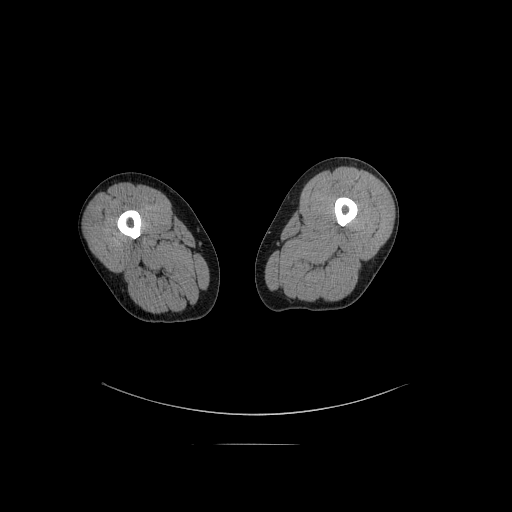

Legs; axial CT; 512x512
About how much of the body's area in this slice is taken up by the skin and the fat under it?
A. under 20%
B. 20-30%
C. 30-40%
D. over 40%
B. 20-30%
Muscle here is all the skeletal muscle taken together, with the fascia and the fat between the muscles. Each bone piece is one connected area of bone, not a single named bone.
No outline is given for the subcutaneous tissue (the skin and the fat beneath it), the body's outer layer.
The muscle appears in 2 outlined pieces: piece 1: 333 166; 353 166; 366 170; 384 184; 392 197; 395 207; 395 219; 392 232; 376 255; 369 261; 358 285; 347 297; 335 302; 305 303; 278 296; 267 288; 264 279; 265 266; 274 241; 292 214; 299 200; 301 190; 307 181; 317 173, around a hole outlined by 341 196; 349 197; 351 199; 352 199; 357 204; 357 207; 358 208; 358 211; 355 218; 351 222; 350 222; 345 226; 341 226; 337 223; 336 221; 336 218; 335 217; 335 214; 334 213; 334 203; 335 202; 335 200; 338 197; 340 197; piece 2: 124 181; 134 184; 145 184; 165 194; 171 202; 175 213; 191 232; 204 254; 209 269; 209 285; 201 301; 192 308; 174 316; 146 312; 133 302; 124 289; 124 286; 115 275; 91 252; 82 232; 84 211; 98 192; 105 191; 114 183 with a hole at 128 209; 135 209; 137 210; 141 217; 141 220; 142 221; 142 224; 141 225; 141 233; 140 235; 137 238; 135 239; 133 239; 129 236; 127 236; 123 234; 118 229; 117 227; 117 224; 116 223; 117 218; 119 216; 119 215; 122 212. The left leg is outlined by 335 156; 355 157; 369 163; 383 175; 392 187; 397 197; 400 212; 398 232; 393 247; 367 289; 353 304; 333 311; 314 312; 303 309; 292 309; 281 312; 272 311; 262 303; 254 281; 255 258; 261 240; 285 195; 296 180; 315 163. The right leg is outlined by 127 171; 141 172; 151 175; 173 188; 190 205; 209 236; 219 262; 220 285; 218 296; 213 308; 201 319; 180 323; 152 323; 137 319; 129 314; 118 303; 88 258; 80 241; 77 228; 78 215; 81 206; 86 197; 98 183; 113 174. The bones appear in 2 outlined pieces: piece 1: 128 209; 135 209; 137 210; 141 217; 141 220; 142 221; 142 224; 141 225; 141 233; 140 235; 137 238; 135 239; 133 239; 129 236; 127 236; 123 234; 118 229; 117 227; 117 224; 116 223; 117 218; 119 216; 119 215; 122 212; piece 2: 341 196; 349 197; 351 199; 352 199; 357 204; 357 207; 358 208; 358 211; 355 218; 351 222; 350 222; 345 226; 341 226; 337 223; 336 221; 336 218; 335 217; 335 214; 334 213; 334 203; 335 202; 335 200; 338 197; 340 197.